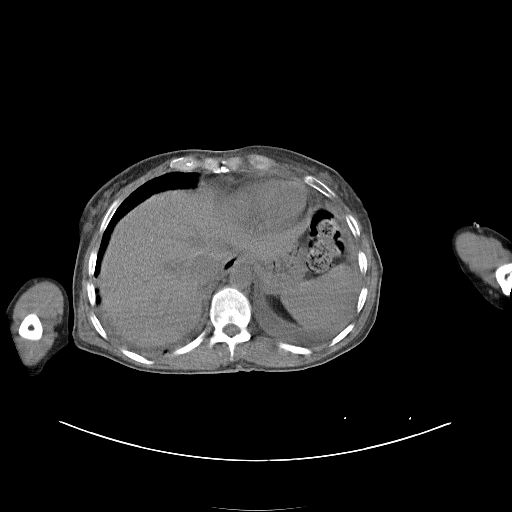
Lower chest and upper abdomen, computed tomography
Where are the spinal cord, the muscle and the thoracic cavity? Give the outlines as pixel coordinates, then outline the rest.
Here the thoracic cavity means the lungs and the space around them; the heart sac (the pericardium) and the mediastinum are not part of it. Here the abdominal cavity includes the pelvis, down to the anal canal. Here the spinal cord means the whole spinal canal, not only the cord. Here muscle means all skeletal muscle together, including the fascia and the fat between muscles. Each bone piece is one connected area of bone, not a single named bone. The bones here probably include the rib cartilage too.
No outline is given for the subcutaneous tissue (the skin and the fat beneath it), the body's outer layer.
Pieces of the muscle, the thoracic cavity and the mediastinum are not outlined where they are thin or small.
{"spinal_cord":[[[228,324],[233,324],[234,325],[235,325],[239,329],[239,331],[237,333],[236,333],[235,334],[234,334],[232,336],[230,336],[229,335],[228,335],[226,333],[225,333],[223,331],[223,328],[226,325],[227,325]]],"muscle":[[[268,157],[313,169],[358,215],[377,266],[377,280],[372,308],[365,326],[357,336],[330,354],[301,365],[271,367],[243,360],[211,369],[165,369],[139,365],[79,337],[78,302],[83,259],[104,209],[109,205],[98,228],[101,235],[99,245],[90,251],[87,262],[87,274],[94,279],[93,282],[90,279],[86,282],[86,295],[90,306],[95,306],[95,313],[91,310],[88,318],[101,337],[106,340],[109,336],[123,346],[119,350],[130,359],[149,366],[155,362],[148,358],[170,353],[171,356],[185,354],[199,346],[211,331],[207,347],[225,343],[229,360],[232,362],[235,347],[252,336],[248,328],[252,316],[268,336],[278,341],[279,349],[293,354],[310,355],[311,348],[327,342],[331,347],[342,340],[354,328],[352,320],[355,314],[361,311],[368,294],[368,288],[362,286],[362,274],[367,271],[368,260],[365,252],[358,250],[355,239],[361,233],[359,224],[351,213],[345,214],[328,199],[335,197],[336,193],[323,181],[312,174],[305,174],[302,180],[293,175],[271,173],[267,171],[275,163]],{"outer":[[41,281],[49,281],[56,285],[59,288],[63,297],[64,320],[58,329],[57,336],[53,342],[52,346],[48,350],[46,354],[37,363],[30,366],[25,366],[23,365],[17,352],[10,331],[9,325],[13,314],[14,306],[20,296],[36,282],[40,282]],"hole":[[33,312],[38,316],[41,322],[41,324],[42,325],[42,334],[41,335],[41,337],[38,340],[30,340],[29,339],[26,339],[25,338],[23,338],[20,336],[18,332],[18,329],[19,328],[19,326],[24,317],[27,314],[29,313],[32,313]]},[[463,231],[470,231],[476,234],[484,235],[487,237],[493,237],[500,241],[502,246],[511,253],[511,261],[504,262],[500,264],[494,270],[494,277],[501,290],[501,292],[486,283],[475,272],[472,271],[468,265],[460,257],[456,248],[455,240],[457,235]],[[168,159],[171,159],[168,163],[168,168],[170,171],[162,173],[159,175],[154,176],[150,179],[148,179],[134,189],[128,195],[120,195],[115,198],[112,201],[113,197],[115,194],[122,187],[128,183],[133,181],[138,177],[141,176],[148,170],[159,165]],[[251,152],[257,153],[250,154],[247,157],[246,162],[254,170],[251,169],[243,169],[242,168],[244,164],[244,160],[240,156],[231,156],[230,157],[228,158],[223,158],[220,160],[212,157],[222,157],[223,156],[233,156],[241,153],[250,153]]],"thoracic_cavity":[[[256,281],[259,285],[261,299],[267,311],[276,320],[283,322],[287,326],[299,332],[312,335],[324,333],[335,328],[339,324],[347,321],[349,321],[349,323],[329,341],[314,347],[296,345],[278,340],[268,335],[258,325],[258,323],[252,315],[253,287]],[[169,172],[193,172],[196,173],[198,176],[195,185],[191,187],[168,187],[151,193],[122,215],[114,224],[109,234],[107,243],[99,263],[99,271],[97,275],[94,276],[98,256],[98,250],[101,242],[102,235],[119,206],[134,190],[145,182],[154,177]],[[97,294],[98,311],[102,322],[120,340],[143,352],[162,353],[170,350],[172,348],[184,344],[191,339],[200,330],[208,317],[210,325],[206,325],[194,338],[185,344],[175,348],[171,352],[153,357],[146,357],[133,350],[128,349],[108,335],[96,313]]],"torso":[[[252,144],[291,149],[332,167],[352,186],[364,203],[383,266],[376,319],[364,340],[339,356],[306,369],[198,374],[144,372],[76,347],[70,332],[73,328],[72,277],[78,248],[77,224],[84,206],[96,190],[126,167],[154,154],[187,148],[229,150]]],"bones":[{"outer":[[224,286],[237,288],[249,300],[251,319],[247,328],[251,335],[250,338],[234,347],[232,361],[225,342],[216,342],[212,347],[208,347],[211,330],[193,349],[182,354],[171,355],[172,351],[190,342],[206,326],[211,325],[209,321],[211,299],[213,294]],"hole":[[228,324],[233,324],[234,325],[235,325],[239,329],[239,331],[237,333],[236,333],[235,334],[234,334],[232,336],[230,336],[229,335],[228,335],[226,333],[225,333],[223,331],[223,328],[226,325],[227,325]]},[[180,156],[193,157],[200,160],[211,157],[218,161],[223,159],[228,159],[231,157],[240,157],[243,160],[241,168],[243,170],[234,171],[231,170],[223,173],[222,172],[214,173],[201,168],[198,168],[194,171],[171,171],[169,168],[170,161],[173,158]],[[33,312],[38,316],[41,322],[41,324],[42,325],[42,334],[41,335],[41,337],[38,340],[30,340],[29,339],[26,339],[25,338],[23,338],[20,336],[18,332],[18,329],[19,328],[19,326],[24,317],[27,314],[29,313],[32,313]],[[509,262],[511,262],[511,291],[510,292],[509,295],[505,295],[502,292],[502,290],[501,289],[501,288],[500,287],[498,282],[496,280],[496,278],[495,277],[495,270],[496,269],[496,268],[497,268],[500,265],[501,265],[504,263],[508,263]],[[252,154],[258,154],[259,155],[262,155],[263,156],[265,156],[269,158],[273,161],[274,163],[273,166],[271,168],[270,168],[266,171],[263,171],[262,170],[258,170],[257,169],[255,169],[251,167],[247,162],[247,159],[248,157]],[[305,175],[312,175],[316,178],[317,178],[319,180],[320,180],[322,182],[323,182],[326,185],[327,185],[335,193],[335,196],[333,196],[330,198],[329,197],[327,197],[316,189],[308,185],[305,182],[303,181],[303,177]],[[120,196],[127,196],[118,206],[118,207],[114,212],[113,215],[111,217],[110,220],[108,222],[104,231],[102,233],[102,234],[101,234],[99,231],[99,228],[100,227],[100,225],[101,224],[102,219],[107,209],[109,207],[111,203],[115,199],[116,199]],[[279,341],[283,342],[284,343],[287,343],[288,344],[295,345],[296,346],[301,346],[302,347],[307,347],[308,348],[310,348],[311,349],[311,353],[310,354],[298,354],[297,353],[293,353],[290,351],[284,350],[281,348],[279,348],[278,346],[278,342]],[[121,347],[124,347],[128,350],[133,351],[148,359],[150,359],[152,360],[154,362],[152,364],[150,364],[148,365],[147,364],[145,364],[144,363],[142,363],[141,362],[136,361],[130,358],[128,356],[125,355],[120,350],[120,348]],[[91,311],[94,312],[94,313],[96,315],[97,318],[99,320],[101,325],[105,330],[105,331],[107,334],[107,338],[106,339],[105,339],[98,333],[98,332],[95,329],[93,324],[91,322],[91,320],[89,318],[89,314]],[[348,213],[351,214],[354,217],[354,218],[356,220],[356,221],[358,224],[358,227],[359,228],[360,233],[359,234],[359,235],[356,237],[355,237],[353,235],[353,234],[352,233],[352,232],[351,231],[351,230],[346,221],[346,218],[345,217],[345,215]],[[351,322],[352,322],[354,324],[354,326],[353,327],[353,328],[342,339],[341,339],[339,341],[338,341],[336,343],[335,343],[333,345],[332,345],[331,346],[330,346],[329,345],[329,343],[330,342],[330,341],[336,335],[337,335],[346,326],[347,326]],[[95,248],[98,248],[98,249],[97,250],[97,256],[96,257],[96,261],[95,262],[95,267],[94,268],[94,273],[93,274],[93,276],[91,277],[89,276],[88,274],[88,262],[89,261],[89,257],[90,256],[90,253],[91,251]],[[89,280],[90,280],[93,283],[93,284],[94,285],[94,288],[95,289],[95,305],[94,306],[91,306],[91,305],[90,304],[90,302],[89,301],[89,299],[88,298],[88,296],[87,295],[87,286],[86,285],[86,284],[87,283],[87,282]],[[360,250],[361,250],[364,252],[364,253],[366,256],[366,259],[367,260],[367,268],[366,269],[366,271],[364,274],[363,274],[362,273],[361,273],[361,272],[360,271],[360,269],[359,268],[359,264],[358,263],[358,252]],[[362,287],[366,287],[367,288],[367,294],[366,295],[366,298],[365,299],[365,301],[363,304],[363,306],[361,308],[360,311],[359,312],[357,312],[357,309],[356,308],[356,306],[357,305],[358,296],[360,293],[360,291],[361,290],[361,288]]],"mediastinum":[[[236,258],[250,258],[254,264],[257,281],[256,280],[253,283],[252,287],[252,305],[248,297],[241,290],[232,285],[224,285],[215,291],[212,295],[212,291],[216,285],[218,278],[220,277],[220,274],[224,271],[224,268],[230,266],[233,260]],[[200,170],[214,174],[223,174],[231,171],[234,172],[244,170],[257,170],[270,173],[245,174],[237,177],[230,176],[225,181],[224,188],[235,207],[247,219],[267,227],[256,226],[243,218],[236,211],[217,185],[210,181],[198,178],[198,174],[194,172]],[[311,188],[316,190],[318,192],[319,192],[319,193],[320,194],[322,194],[326,198],[327,198],[323,198],[322,197],[321,198],[319,198],[318,199],[317,199],[311,205],[311,206],[308,209],[309,206],[311,204],[311,203],[314,198],[314,191]]],"right_arm":[[[39,275],[45,275],[56,279],[63,285],[66,290],[69,301],[69,313],[68,314],[69,336],[67,345],[46,363],[42,371],[39,374],[35,376],[31,376],[29,375],[25,366],[23,365],[17,352],[6,316],[6,308],[13,295],[19,287],[29,278]]],"pericardium":[[[254,174],[283,174],[284,175],[296,177],[309,186],[313,191],[313,198],[305,212],[290,225],[271,228],[260,224],[247,218],[236,207],[235,203],[231,199],[225,188],[226,187],[226,181],[228,178],[230,177],[237,178],[245,175],[253,175]]],"abdominal_cavity":[[[198,179],[217,186],[259,228],[290,226],[322,198],[337,206],[354,237],[361,274],[351,321],[312,334],[276,319],[262,299],[255,264],[236,257],[219,274],[208,316],[187,341],[147,352],[120,339],[103,322],[94,284],[110,234],[151,194],[191,188]]],"left_arm":[[[473,222],[476,222],[481,226],[488,226],[503,234],[511,240],[511,291],[508,296],[507,307],[505,311],[503,311],[495,307],[489,303],[481,295],[471,281],[461,270],[454,255],[451,251],[450,248],[450,237],[452,232],[459,226],[465,224],[471,224]]]}